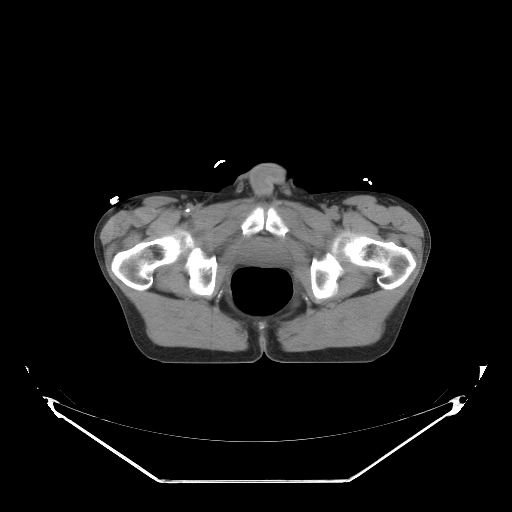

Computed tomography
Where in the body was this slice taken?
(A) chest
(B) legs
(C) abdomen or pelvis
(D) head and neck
(C) abdomen or pelvis
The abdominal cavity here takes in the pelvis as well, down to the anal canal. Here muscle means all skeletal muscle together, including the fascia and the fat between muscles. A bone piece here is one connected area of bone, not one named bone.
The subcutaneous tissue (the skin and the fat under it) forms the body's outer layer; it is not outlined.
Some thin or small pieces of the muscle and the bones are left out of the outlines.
{"muscle":[{"outer":[[156,195],[196,202],[204,207],[240,198],[253,198],[256,202],[284,199],[300,202],[321,212],[349,196],[375,196],[401,206],[419,222],[424,234],[421,265],[413,282],[386,320],[386,328],[381,338],[370,345],[283,351],[280,349],[273,326],[260,337],[252,325],[253,321],[222,299],[220,306],[224,311],[247,321],[248,349],[222,351],[160,346],[148,338],[139,312],[110,277],[99,237],[104,224],[115,213],[141,199]],"holes":[[[257,206],[262,207],[265,211],[272,206],[288,227],[289,230],[284,237],[279,239],[289,253],[292,274],[297,282],[289,309],[282,313],[260,317],[253,316],[234,304],[231,301],[229,292],[229,277],[238,262],[243,245],[250,239],[242,234],[240,225]],[[343,231],[363,234],[381,241],[392,241],[406,247],[416,262],[414,269],[399,286],[385,289],[376,281],[379,273],[376,268],[359,266],[340,258],[344,272],[337,279],[337,292],[331,297],[317,299],[311,288],[312,258],[321,259],[331,249],[334,238]],[[178,228],[188,231],[195,244],[207,257],[215,255],[217,269],[214,289],[210,296],[197,295],[190,290],[189,275],[184,269],[186,252],[174,262],[158,266],[152,273],[152,285],[144,290],[126,285],[114,274],[111,261],[117,252],[141,241],[171,234]]]}],"torso":[[[268,161],[284,165],[294,182],[310,192],[385,192],[404,199],[423,216],[431,248],[395,343],[367,364],[278,363],[265,354],[253,363],[178,364],[144,356],[130,336],[118,300],[95,257],[93,233],[98,220],[111,204],[130,196],[172,189],[216,191]]],"abdominal_cavity":[[[262,230],[263,232],[266,230],[269,233],[278,237],[284,244],[291,258],[292,274],[297,282],[293,300],[289,309],[282,313],[277,314],[274,313],[256,317],[247,313],[231,301],[229,292],[229,277],[235,265],[238,262],[243,245],[250,239],[249,237]]],"bones":[[[343,231],[363,234],[381,241],[392,241],[406,247],[416,262],[414,269],[399,286],[385,289],[376,281],[379,273],[376,268],[359,266],[340,258],[344,272],[337,279],[337,292],[331,297],[317,299],[311,288],[312,258],[321,259],[331,249],[334,238]],[[178,228],[188,231],[195,244],[207,257],[215,255],[217,269],[214,289],[210,296],[197,295],[190,290],[189,275],[184,269],[186,252],[174,262],[158,266],[152,273],[152,285],[144,290],[126,285],[114,274],[111,261],[117,252],[141,241],[171,234]],[[257,206],[262,207],[265,211],[266,211],[267,209],[271,206],[275,209],[277,213],[289,229],[285,234],[284,237],[279,237],[269,232],[266,229],[262,229],[260,231],[254,233],[250,236],[244,236],[242,234],[242,230],[240,227],[240,225],[251,211]]]}